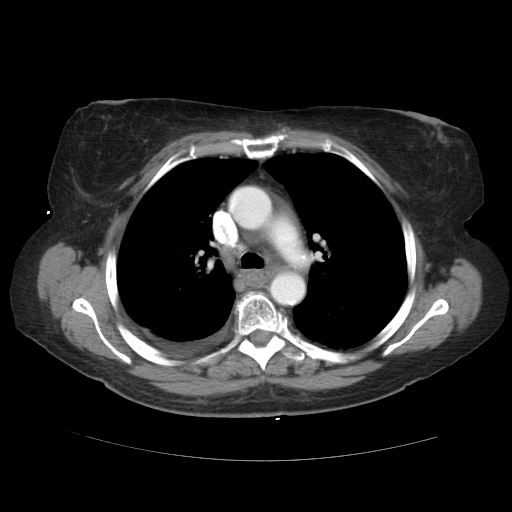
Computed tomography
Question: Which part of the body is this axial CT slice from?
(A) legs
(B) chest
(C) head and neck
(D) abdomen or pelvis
Answer: (B) chest
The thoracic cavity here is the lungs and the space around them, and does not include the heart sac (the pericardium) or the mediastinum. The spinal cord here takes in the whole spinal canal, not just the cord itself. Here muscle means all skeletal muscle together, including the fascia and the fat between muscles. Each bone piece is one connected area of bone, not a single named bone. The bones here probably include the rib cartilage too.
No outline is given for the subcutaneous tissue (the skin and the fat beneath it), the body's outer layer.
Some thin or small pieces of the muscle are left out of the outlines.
{"muscle":[{"outer":[[282,126],[326,131],[348,140],[367,153],[394,180],[401,185],[407,194],[407,198],[404,200],[403,205],[414,230],[420,239],[425,253],[425,285],[426,286],[429,283],[434,284],[438,281],[443,281],[445,273],[448,272],[454,259],[459,257],[462,257],[471,262],[480,272],[482,277],[482,302],[474,320],[461,333],[457,335],[451,335],[434,348],[404,353],[393,358],[381,368],[368,373],[364,378],[350,385],[315,391],[283,387],[278,384],[265,382],[250,387],[245,392],[239,391],[225,395],[205,397],[190,397],[162,390],[149,384],[143,378],[125,372],[121,367],[113,362],[101,359],[84,350],[81,350],[68,341],[61,328],[53,318],[52,314],[40,301],[37,292],[36,282],[38,266],[40,259],[46,249],[59,241],[63,241],[68,245],[79,248],[86,254],[88,260],[92,264],[97,264],[102,254],[105,233],[120,212],[126,207],[129,200],[129,198],[125,195],[126,189],[117,190],[117,188],[126,178],[141,169],[150,158],[168,142],[184,135],[201,131],[238,130],[250,132],[255,136],[262,136]],"holes":[[[276,134],[326,137],[345,147],[380,183],[399,224],[410,223],[415,274],[406,292],[414,287],[415,296],[407,316],[376,348],[368,349],[370,339],[339,349],[359,355],[346,363],[306,355],[296,361],[279,350],[262,370],[234,349],[196,364],[227,341],[203,353],[168,356],[181,361],[178,365],[147,360],[119,332],[119,322],[134,331],[121,301],[113,308],[105,281],[107,254],[114,249],[118,255],[143,189],[191,144]],[[79,297],[82,297],[89,302],[95,312],[98,325],[101,332],[105,338],[117,350],[127,355],[131,359],[131,363],[130,364],[126,363],[119,358],[103,342],[100,338],[96,330],[94,322],[90,316],[85,313],[76,311],[73,309],[72,303],[76,298]],[[440,298],[446,300],[448,303],[448,309],[445,313],[443,314],[437,314],[430,317],[427,319],[405,342],[394,348],[387,355],[385,356],[382,356],[381,355],[382,352],[390,344],[395,343],[401,340],[411,330],[413,326],[426,314],[432,304],[437,299]]]}],"thoracic_cavity":[[[242,154],[257,161],[255,169],[222,199],[211,214],[211,227],[217,242],[219,258],[231,277],[235,294],[231,309],[234,316],[233,333],[227,341],[209,351],[179,357],[168,356],[134,333],[120,300],[117,256],[124,232],[144,194],[179,164],[204,156]],[[298,148],[335,154],[355,166],[383,192],[401,228],[407,274],[405,295],[391,319],[371,339],[355,347],[330,349],[293,331],[293,310],[306,297],[309,272],[314,262],[314,255],[309,246],[307,232],[289,192],[267,171],[264,164],[279,149],[294,150]]],"spinal_cord":[[[257,329],[258,329],[259,330],[262,330],[263,331],[266,331],[267,332],[268,332],[270,334],[270,338],[269,339],[269,340],[264,345],[259,345],[258,346],[257,345],[255,345],[251,341],[251,340],[250,339],[250,335],[251,334],[251,333]]],"mediastinum":[[[264,158],[268,158],[263,167],[288,192],[306,232],[308,246],[313,255],[305,297],[292,310],[293,330],[289,326],[288,316],[279,310],[263,291],[249,290],[236,298],[232,277],[220,258],[218,242],[212,227],[212,214],[216,208],[256,169],[257,160]]],"bones":[{"outer":[[249,291],[263,292],[287,316],[289,328],[306,340],[325,349],[359,356],[346,363],[333,363],[306,355],[302,360],[296,361],[279,350],[269,358],[262,370],[251,356],[234,349],[219,355],[210,363],[196,364],[196,359],[217,350],[232,338],[234,302]],"hole":[[257,329],[258,329],[259,330],[262,330],[263,331],[266,331],[267,332],[268,332],[270,334],[270,338],[269,339],[269,340],[264,345],[259,345],[258,346],[257,345],[255,345],[251,341],[251,340],[250,339],[250,335],[251,334],[251,333]]},[[276,134],[331,139],[361,161],[380,183],[383,191],[344,157],[319,149],[298,147],[279,148],[271,157],[257,159],[248,158],[243,153],[212,154],[190,159],[173,167],[140,196],[162,165],[179,150],[188,149],[191,144],[214,143],[234,138],[253,139]],[[119,322],[123,324],[141,340],[144,341],[150,346],[159,350],[168,358],[179,360],[181,361],[182,363],[178,365],[169,365],[168,366],[167,365],[162,365],[161,364],[158,364],[157,363],[149,361],[142,357],[134,351],[122,337],[116,326],[117,323]],[[412,287],[414,287],[415,288],[415,296],[414,297],[411,308],[404,321],[395,331],[395,332],[382,344],[376,348],[374,348],[373,349],[368,349],[368,347],[372,341],[371,340],[392,319],[403,302],[403,300],[406,294],[409,291],[410,288]],[[79,297],[82,297],[89,302],[95,312],[98,325],[101,332],[105,338],[117,350],[127,355],[131,359],[131,363],[130,364],[126,363],[119,358],[103,342],[100,338],[96,330],[94,322],[90,316],[85,313],[76,311],[73,309],[72,303],[76,298]],[[113,249],[114,249],[116,252],[116,282],[117,283],[117,290],[119,296],[119,301],[118,302],[117,310],[115,310],[111,304],[107,292],[106,282],[105,281],[105,266],[106,265],[106,258],[108,252],[110,250]],[[440,298],[446,300],[448,303],[448,309],[445,313],[443,314],[437,314],[430,317],[427,319],[405,342],[394,348],[387,355],[385,356],[382,356],[381,355],[382,352],[390,344],[395,343],[401,340],[411,330],[413,326],[426,314],[432,304],[437,299]],[[403,220],[405,220],[410,223],[414,234],[414,241],[415,242],[415,274],[412,282],[410,282],[408,280],[408,274],[407,273],[407,262],[406,261],[406,253],[405,252],[405,242],[404,241],[404,236],[403,235],[403,232],[401,227],[401,224]]],"torso":[[[138,97],[263,110],[388,107],[435,116],[465,130],[484,181],[483,204],[467,225],[493,246],[508,269],[499,329],[471,353],[399,392],[303,415],[166,412],[128,400],[60,361],[12,323],[8,286],[14,260],[50,215],[47,176],[68,117],[94,100]]]}